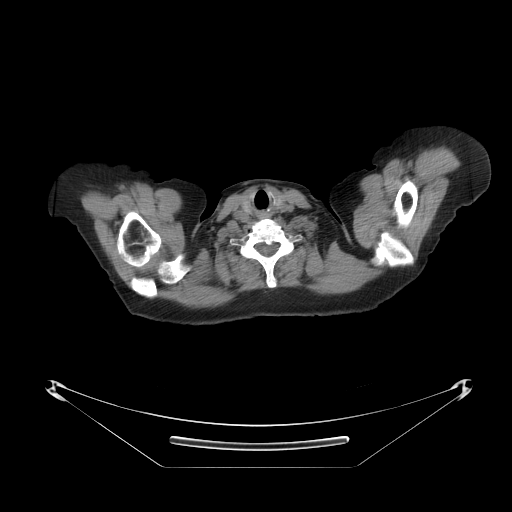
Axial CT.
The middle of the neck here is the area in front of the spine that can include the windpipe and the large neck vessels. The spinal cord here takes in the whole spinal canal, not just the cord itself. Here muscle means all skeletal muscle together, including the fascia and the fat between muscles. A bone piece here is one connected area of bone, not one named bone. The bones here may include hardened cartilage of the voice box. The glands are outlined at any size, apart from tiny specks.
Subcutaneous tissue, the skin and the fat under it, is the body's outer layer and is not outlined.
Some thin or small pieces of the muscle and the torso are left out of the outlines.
{"torso":[[[252,178],[288,180],[304,185],[354,237],[364,241],[387,240],[409,259],[425,266],[425,269],[392,298],[376,309],[362,313],[261,316],[203,326],[174,325],[131,315],[108,279],[140,282],[160,274],[182,254],[198,223],[216,207],[220,192],[232,184]]],"thyroid_glands":[[[246,196],[248,196],[248,201],[249,202],[249,207],[250,208],[250,212],[249,213],[246,213],[242,209],[242,208],[241,207],[241,202],[242,201],[242,200]],[[276,195],[280,195],[283,198],[283,199],[284,200],[284,202],[283,203],[283,204],[282,205],[282,206],[280,208],[280,209],[279,209],[278,210],[276,210],[276,208],[275,207],[275,204],[274,203],[274,202],[275,201],[275,197],[276,196]]],"bones":[{"outer":[[266,218],[279,224],[287,235],[301,235],[300,240],[294,243],[293,251],[276,261],[273,267],[276,286],[273,288],[266,284],[266,273],[262,265],[256,259],[243,257],[239,253],[239,247],[229,242],[231,238],[244,236],[246,238],[251,226],[256,221]],"hole":[[258,243],[264,243],[267,245],[270,245],[273,243],[277,243],[278,244],[278,246],[277,247],[277,249],[271,255],[269,255],[268,256],[267,256],[266,255],[264,255],[263,254],[262,254],[261,253],[260,253],[257,250],[257,249],[255,247],[255,245]]},[[129,211],[135,211],[137,212],[144,219],[149,226],[153,230],[159,234],[161,238],[161,245],[158,251],[152,256],[150,260],[147,263],[141,267],[133,266],[124,261],[118,253],[118,251],[117,250],[117,237],[119,232],[119,228],[123,221],[124,216]],[[384,231],[388,231],[393,236],[400,239],[409,249],[414,259],[414,262],[412,265],[397,266],[396,267],[391,268],[389,267],[386,263],[380,266],[375,266],[370,262],[370,259],[374,253],[374,249],[377,245],[378,241],[380,240],[380,235],[381,233]],[[406,180],[410,180],[412,181],[417,187],[417,189],[418,190],[418,194],[417,195],[417,205],[409,225],[406,228],[399,228],[397,226],[396,217],[393,214],[393,203],[395,200],[395,198],[399,188]],[[181,253],[183,253],[185,255],[184,261],[186,263],[190,264],[191,265],[191,268],[181,279],[180,279],[175,283],[167,284],[166,283],[162,282],[160,280],[160,276],[157,273],[157,267],[159,263],[161,261],[170,261],[171,260],[173,260],[179,254]],[[133,276],[146,276],[147,277],[152,277],[154,279],[154,280],[155,281],[155,283],[156,284],[156,288],[157,289],[157,295],[154,298],[148,298],[147,297],[142,296],[141,295],[138,294],[135,291],[134,291],[130,287],[130,280],[131,279],[131,278]]],"left_arm":[[[431,124],[450,124],[475,136],[489,154],[492,174],[488,189],[472,204],[457,210],[455,219],[441,234],[426,266],[409,258],[387,239],[364,240],[354,236],[335,216],[327,196],[330,187],[351,171],[372,169],[373,153],[379,147],[387,145],[402,131]]],"middle_of_the_neck":[[[259,187],[266,188],[275,195],[273,203],[276,211],[280,210],[285,202],[293,205],[294,209],[291,212],[283,215],[278,215],[273,218],[266,217],[258,220],[248,221],[237,220],[233,218],[233,214],[240,206],[246,214],[249,214],[251,212],[249,195]]],"muscle":[{"outer":[[432,145],[446,145],[462,163],[449,176],[415,263],[405,243],[384,230],[369,262],[390,269],[343,294],[258,289],[199,309],[155,298],[152,276],[133,275],[129,287],[118,276],[80,201],[88,190],[107,192],[134,180],[154,189],[173,188],[183,197],[179,217],[195,244],[232,193],[257,183],[286,186],[307,198],[331,236],[349,251],[355,241],[352,214],[362,197],[359,181],[379,173],[394,157],[410,158]],"holes":[[[259,187],[280,195],[294,206],[291,212],[272,219],[287,235],[301,235],[293,251],[276,261],[273,267],[276,286],[273,288],[266,284],[262,265],[256,259],[243,257],[239,247],[229,242],[231,238],[246,238],[256,221],[237,220],[233,214],[242,200]],[[129,211],[135,211],[137,212],[144,219],[149,226],[153,230],[159,234],[161,238],[161,245],[158,251],[152,256],[150,260],[147,263],[141,267],[133,266],[124,261],[118,253],[118,251],[117,250],[117,237],[119,232],[119,228],[123,221],[124,216]],[[406,180],[410,180],[412,181],[417,187],[417,189],[418,190],[418,194],[417,195],[417,205],[409,225],[406,228],[399,228],[397,226],[396,217],[393,214],[393,203],[395,200],[395,198],[399,188]],[[181,253],[183,253],[185,255],[184,261],[186,263],[190,264],[191,265],[191,268],[181,279],[180,279],[175,283],[167,284],[166,283],[162,282],[160,280],[160,276],[157,273],[157,267],[159,263],[161,261],[170,261],[171,260],[173,260],[179,254]]]}],"right_arm":[[[83,158],[107,159],[115,164],[128,162],[137,169],[149,170],[156,181],[177,177],[194,182],[205,190],[207,204],[188,244],[181,254],[160,273],[140,281],[108,278],[76,229],[65,219],[54,218],[49,215],[47,196],[53,180],[70,164]]],"spinal_cord":[[[258,243],[264,243],[267,245],[270,245],[273,243],[277,243],[278,244],[278,246],[277,247],[277,249],[271,255],[269,255],[268,256],[267,256],[266,255],[264,255],[263,254],[262,254],[261,253],[260,253],[257,250],[257,249],[255,247],[255,245]]]}